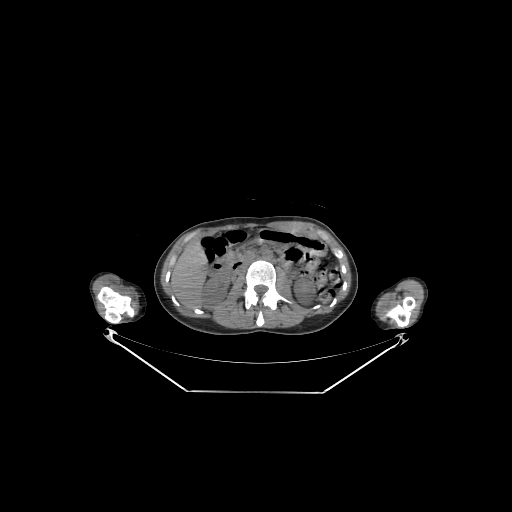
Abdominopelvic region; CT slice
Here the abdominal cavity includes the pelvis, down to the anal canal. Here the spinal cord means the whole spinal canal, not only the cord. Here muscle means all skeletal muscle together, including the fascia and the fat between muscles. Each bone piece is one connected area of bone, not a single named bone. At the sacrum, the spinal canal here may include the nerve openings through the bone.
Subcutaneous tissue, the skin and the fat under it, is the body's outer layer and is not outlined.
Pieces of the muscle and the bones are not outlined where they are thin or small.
The abdominal cavity is outlined by (258, 227) (311, 233) (324, 240) (339, 262) (342, 277) (342, 284) (333, 299) (309, 308) (299, 305) (293, 297) (289, 272) (259, 258) (253, 260) (246, 270) (244, 266) (237, 270) (226, 299) (213, 311) (183, 306) (176, 298) (170, 279) (184, 246) (192, 238) (208, 233). The bones appear in 10 outlined pieces: piece 1: (259, 259) (272, 263) (276, 270) (276, 290) (279, 294) (290, 300) (292, 302) (291, 303) (279, 300) (276, 304) (277, 305) (275, 309) (272, 309) (268, 306) (264, 306) (261, 304) (251, 305) (248, 308) (246, 308) (243, 295) (246, 288) (246, 271) (253, 261), around a hole outlined by (257, 285) (263, 285) (264, 286) (265, 286) (266, 287) (267, 287) (267, 289) (266, 290) (266, 291) (262, 295) (261, 295) (260, 296) (259, 296) (258, 295) (258, 294) (256, 292) (256, 291) (255, 290) (255, 289) (254, 288) (255, 287) (255, 286) (256, 286); piece 2: (103, 286) (108, 286) (122, 295) (129, 296) (131, 298) (130, 305) (133, 308) (135, 315) (133, 317) (129, 317) (126, 313) (123, 313) (121, 315) (121, 320) (118, 323) (111, 323) (104, 319) (104, 311) (105, 310) (104, 307) (96, 298) (96, 295) (100, 290) (101, 287); piece 3: (408, 295) (412, 296) (414, 298) (416, 304) (414, 308) (411, 311) (408, 325) (405, 327) (398, 327) (396, 325) (396, 322) (393, 319) (386, 316) (385, 314) (390, 308) (393, 307) (398, 303) (400, 303) (402, 301) (402, 299) (405, 296) (407, 296); piece 4: (259, 310) (261, 310) (262, 311) (262, 315) (263, 316) (263, 319) (264, 320) (264, 323) (263, 324) (263, 325) (261, 327) (257, 327) (257, 326) (256, 325) (256, 318) (257, 317) (257, 315) (258, 314) (258, 311); piece 5: (334, 247) (335, 248) (338, 248) (339, 249) (340, 249) (343, 252) (343, 256) (342, 257) (342, 258) (341, 259) (338, 259) (334, 255) (334, 254) (333, 253) (333, 252) (332, 251) (332, 248) (333, 248); piece 6: (318, 230) (320, 230) (321, 231) (322, 231) (323, 232) (324, 232) (327, 235) (327, 236) (328, 237) (328, 240) (327, 241) (326, 241) (324, 239) (323, 239) (317, 233) (317, 231); piece 7: (172, 294) (174, 294) (174, 295) (175, 296) (175, 298) (179, 302) (179, 303) (180, 304) (179, 305) (179, 306) (176, 306) (172, 302) (172, 301) (171, 300) (171, 295); piece 8: (189, 233) (192, 233) (192, 234) (193, 235) (193, 236) (191, 238) (191, 239) (190, 239) (186, 243) (185, 243) (184, 244) (183, 244) (183, 240) (184, 239) (184, 238); piece 9: (174, 254) (175, 254) (177, 256) (177, 257) (176, 258) (176, 259) (175, 260) (175, 263) (173, 265) (173, 266) (170, 266) (169, 265) (169, 262) (170, 261) (170, 259) (172, 257) (172, 256); piece 10: (335, 297) (336, 297) (336, 298) (336, 299) (336, 300) (336, 301) (336, 302) (335, 303) (335, 304) (334, 305) (333, 306) (332, 307) (331, 307) (330, 307) (329, 306) (329, 305) (330, 304) (330, 303) (331, 302) (332, 301) (333, 300) (334, 299) (334, 298). The muscle appears in 5 outlined pieces: piece 1: (273, 221) (302, 221) (313, 223) (327, 231) (343, 249) (351, 270) (351, 286) (345, 298) (331, 312) (306, 318) (299, 324) (291, 327) (269, 328) (262, 327) (265, 320) (263, 311) (259, 309) (255, 318) (256, 327) (235, 329) (221, 326) (207, 319) (187, 317) (176, 310) (172, 303) (176, 307) (179, 307) (180, 302) (183, 307) (188, 310) (193, 310) (196, 315) (203, 315) (204, 311) (208, 313) (213, 312) (217, 305) (227, 299) (232, 280) (242, 267) (245, 268) (245, 288) (242, 295) (246, 309) (251, 306) (261, 305) (275, 310) (279, 301) (288, 304) (293, 302) (277, 290) (277, 267) (288, 272) (291, 280) (292, 297) (299, 306) (315, 310) (318, 309) (321, 304) (329, 303) (328, 306) (332, 308) (337, 302) (336, 296) (340, 288) (344, 292) (348, 287) (347, 281) (343, 279) (342, 276) (346, 274) (347, 269) (346, 266) (339, 261) (343, 258) (344, 252) (338, 247) (330, 247) (327, 242) (329, 237) (324, 231) (318, 229) (316, 231) (317, 234) (314, 234) (293, 229) (258, 226) (252, 228) (234, 227) (196, 236) (194, 236) (192, 232) (189, 232) (203, 227) (238, 223) (264, 224); piece 2: (408, 279) (417, 281) (423, 288) (423, 300) (418, 315) (410, 323) (412, 311) (417, 303) (415, 298) (408, 294) (405, 295) (400, 302) (390, 307) (384, 314) (386, 317) (393, 320) (395, 325) (382, 321) (376, 314) (376, 305) (379, 298) (385, 293) (393, 291) (402, 281); piece 3: (106, 274) (114, 276) (122, 284) (126, 286) (133, 287) (137, 292) (139, 296) (138, 300) (140, 308) (136, 315) (135, 310) (131, 305) (132, 298) (127, 294) (120, 293) (108, 285) (101, 286) (95, 295) (95, 298) (95, 295) (93, 292) (93, 283) (98, 277); piece 4: (187, 233) (188, 233) (182, 240) (182, 244) (183, 245) (185, 244) (185, 245) (183, 246) (183, 248) (179, 254) (177, 255) (174, 253) (169, 259) (168, 265) (170, 267) (173, 267) (171, 270) (171, 272) (171, 270) (170, 269) (168, 269) (166, 271) (164, 276) (164, 281) (166, 284) (171, 280) (170, 281) (170, 283) (174, 293) (172, 293) (170, 295) (170, 300) (163, 290) (160, 282) (160, 275) (161, 274) (162, 266) (167, 255) (175, 243) (183, 235); piece 5: (96, 299) (97, 300) (97, 301) (98, 302) (99, 302) (102, 305) (102, 306) (103, 307) (103, 309) (104, 310) (103, 311) (103, 315) (102, 315) (102, 314) (101, 313) (101, 312) (99, 310) (99, 309) (98, 308) (98, 307) (97, 306) (97, 304) (96, 303). The right arm is outlined by (105, 270) (114, 272) (124, 279) (137, 284) (143, 290) (146, 296) (146, 300) (147, 301) (146, 309) (144, 315) (135, 323) (126, 323) (125, 324) (116, 324) (115, 325) (100, 317) (96, 312) (93, 306) (92, 300) (89, 293) (88, 285) (90, 278) (92, 275) (97, 272). The spinal cord is outlined by (257, 285) (263, 285) (264, 286) (265, 286) (266, 287) (267, 287) (267, 289) (266, 290) (266, 291) (262, 295) (261, 295) (260, 296) (259, 296) (258, 295) (258, 294) (256, 292) (256, 291) (255, 290) (255, 289) (254, 288) (255, 287) (255, 286) (256, 286). The left arm is outlined by (409, 275) (413, 275) (421, 278) (426, 283) (428, 288) (428, 297) (421, 318) (417, 323) (411, 327) (407, 327) (404, 329) (388, 329) (387, 330) (382, 330) (380, 329) (376, 325) (375, 322) (370, 316) (370, 306) (373, 299) (380, 291) (390, 286) (400, 278). The torso is outlined by (274, 215) (301, 215) (316, 218) (328, 225) (349, 249) (357, 267) (358, 288) (351, 305) (335, 321) (321, 330) (300, 335) (286, 335) (260, 331) (237, 335) (216, 335) (196, 331) (183, 325) (162, 307) (154, 290) (154, 268) (161, 253) (180, 232) (194, 224) (218, 218).